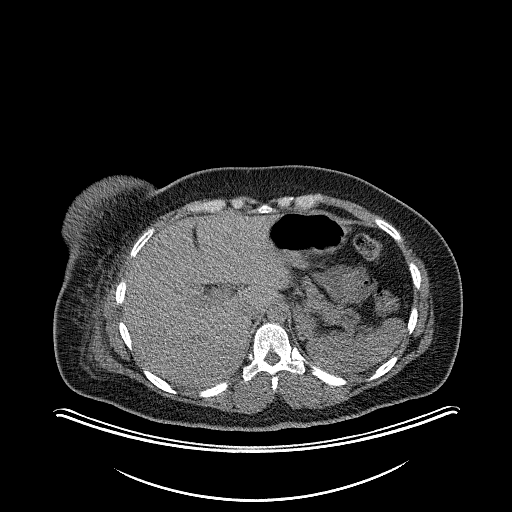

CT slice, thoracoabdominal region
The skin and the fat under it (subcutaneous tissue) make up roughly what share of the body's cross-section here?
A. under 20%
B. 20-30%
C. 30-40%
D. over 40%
Answer: C. 30-40%
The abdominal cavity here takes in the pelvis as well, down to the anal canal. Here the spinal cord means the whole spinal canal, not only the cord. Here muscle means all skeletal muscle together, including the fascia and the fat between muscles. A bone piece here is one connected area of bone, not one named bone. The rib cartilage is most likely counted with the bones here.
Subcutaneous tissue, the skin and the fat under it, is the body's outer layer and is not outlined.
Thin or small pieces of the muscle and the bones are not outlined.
The spinal cord is outlined by (269, 352) (273, 352) (274, 353) (275, 353) (277, 355) (278, 355) (278, 356) (279, 357) (279, 359) (278, 360) (278, 361) (277, 362) (276, 362) (274, 364) (270, 364) (269, 363) (268, 363) (265, 360) (265, 357) (266, 356) (266, 355). The muscle appears in 2 outlined pieces: piece 1: (239, 195) (261, 201) (282, 196) (275, 200) (277, 209) (264, 202) (248, 211) (242, 209) (246, 202) (241, 198) (233, 197) (228, 201) (213, 198) (187, 207) (189, 212) (199, 213) (178, 217) (158, 231) (149, 227) (129, 251) (133, 262) (127, 279) (122, 278) (114, 291) (116, 304) (123, 305) (123, 321) (118, 322) (118, 331) (126, 347) (130, 351) (133, 348) (147, 368) (144, 367) (142, 373) (152, 384) (174, 395) (178, 392) (172, 386) (200, 390) (197, 395) (208, 398) (225, 391) (229, 386) (227, 378) (240, 368) (245, 382) (259, 372) (267, 373) (273, 392) (277, 391) (281, 371) (302, 375) (308, 368) (313, 376) (332, 387) (345, 385) (345, 377) (372, 372) (365, 379) (367, 382) (381, 377) (397, 362) (399, 357) (394, 354) (406, 334) (414, 331) (418, 320) (418, 309) (413, 306) (414, 288) (420, 289) (422, 277) (418, 266) (406, 261) (397, 243) (403, 240) (398, 230) (427, 271) (434, 314) (428, 348) (387, 380) (340, 403) (297, 409) (278, 397) (253, 414) (174, 400) (133, 378) (95, 365) (89, 343) (96, 315) (102, 311) (120, 262) (135, 238) (157, 217) (189, 202); piece 2: (312, 193) (320, 193) (339, 199) (351, 201) (363, 206) (369, 211) (379, 215) (385, 219) (376, 216) (373, 219) (373, 222) (376, 226) (373, 226) (365, 223) (359, 217) (339, 207) (331, 206) (330, 205) (315, 206) (320, 203) (323, 203) (325, 201) (325, 199) (319, 193). The abdominal cavity is outlined by (315, 207) (377, 227) (401, 250) (413, 299) (407, 332) (393, 355) (366, 374) (330, 373) (292, 345) (286, 307) (279, 301) (265, 311) (245, 361) (226, 379) (187, 389) (148, 369) (133, 346) (122, 304) (134, 258) (156, 232) (200, 213) (241, 209) (269, 214) (279, 208). The torso is outlined by (285, 164) (314, 165) (358, 176) (416, 210) (441, 234) (457, 263) (463, 296) (459, 345) (443, 384) (428, 395) (359, 417) (274, 431) (159, 423) (73, 391) (60, 375) (53, 342) (54, 306) (68, 259) (60, 229) (73, 198) (90, 183) (118, 173) (159, 187) (206, 168). The bones appear in 13 outlined pieces: piece 1: (266, 322) (280, 325) (286, 331) (291, 345) (308, 361) (330, 374) (344, 378) (346, 383) (332, 386) (313, 375) (308, 367) (302, 374) (279, 371) (276, 391) (272, 389) (271, 376) (265, 371) (259, 371) (245, 381) (241, 368) (249, 361) (247, 355) (252, 350) (256, 330), around a hole outlined by (269, 352) (273, 352) (274, 353) (275, 353) (277, 355) (278, 355) (278, 356) (279, 357) (279, 359) (278, 360) (278, 361) (277, 362) (276, 362) (274, 364) (270, 364) (269, 363) (268, 363) (265, 360) (265, 357) (266, 356) (266, 355); piece 2: (305, 194) (319, 194) (323, 197) (324, 201) (316, 204) (313, 207) (311, 207) (307, 209) (301, 209) (300, 208) (296, 208) (292, 205) (288, 207) (278, 207) (276, 205) (276, 200) (280, 197) (282, 197) (283, 196) (288, 196) (289, 195) (297, 196) (298, 195) (304, 195); piece 3: (233, 198) (238, 198) (243, 200) (245, 202) (245, 205) (242, 208) (239, 209) (233, 208) (230, 205) (228, 205) (220, 211) (216, 211) (215, 212) (192, 212) (187, 209) (188, 207) (190, 206) (199, 204) (206, 201) (209, 201) (213, 199) (223, 199) (228, 202) (229, 200); piece 4: (144, 368) (145, 369) (149, 370) (152, 373) (155, 374) (157, 376) (158, 376) (160, 378) (161, 378) (163, 380) (167, 382) (174, 389) (176, 390) (177, 393) (174, 394) (173, 393) (165, 391) (159, 388) (153, 383) (152, 383) (145, 376) (145, 375) (143, 373) (143, 369); piece 5: (376, 217) (378, 217) (381, 219) (383, 219) (385, 220) (388, 223) (392, 225) (398, 231) (398, 232) (400, 234) (402, 238) (402, 240) (400, 242) (397, 242) (389, 234) (388, 234) (385, 231) (384, 231) (382, 229) (378, 227) (374, 222) (374, 219); piece 6: (394, 355) (396, 355) (398, 357) (398, 358) (396, 362) (393, 365) (393, 366) (387, 372) (386, 372) (381, 376) (375, 379) (373, 379) (369, 381) (367, 381) (366, 380) (366, 379) (369, 376) (370, 376) (377, 368) (378, 368) (383, 363) (384, 363) (388, 359) (389, 359); piece 7: (225, 380) (227, 380) (228, 381) (228, 386) (227, 388) (225, 390) (222, 391) (217, 395) (214, 395) (213, 396) (209, 396) (208, 397) (200, 397) (198, 395) (199, 391) (203, 390) (204, 389) (206, 389) (207, 388) (209, 388) (215, 385) (217, 383) (219, 383); piece 8: (151, 227) (153, 227) (155, 229) (155, 231) (154, 232) (154, 233) (139, 250) (139, 251) (136, 254) (135, 257) (132, 257) (131, 256) (130, 256) (130, 251) (131, 250) (132, 247) (134, 245) (135, 242) (142, 235) (142, 234) (144, 232) (145, 232) (149, 228) (150, 228); piece 9: (410, 262) (413, 262) (417, 266) (419, 270) (419, 272) (420, 273) (420, 276) (421, 277) (421, 281) (420, 282) (420, 287) (419, 289) (417, 289) (415, 288) (412, 282) (412, 278) (411, 277) (411, 274) (410, 273) (410, 271) (409, 270) (409, 266) (408, 265) (408, 264); piece 10: (120, 321) (122, 321) (125, 324) (128, 330) (128, 332) (129, 333) (129, 335) (131, 339) (131, 343) (133, 347) (131, 350) (130, 350) (127, 347) (126, 344) (124, 342) (120, 334) (120, 332) (119, 331) (119, 322); piece 11: (122, 279) (123, 279) (125, 281) (125, 284) (126, 285) (125, 286) (125, 295) (124, 296) (124, 299) (123, 300) (123, 302) (121, 304) (118, 305) (116, 302) (116, 299) (115, 298) (115, 291) (116, 290) (116, 287) (117, 286) (117, 285) (119, 283) (119, 282); piece 12: (412, 307) (415, 307) (417, 309) (417, 320) (416, 321) (415, 326) (413, 329) (413, 331) (410, 334) (409, 334) (408, 333) (408, 331) (407, 330) (407, 325) (408, 324) (408, 320) (409, 319) (409, 316) (410, 315) (410, 312) (411, 311) (411, 309) (412, 308); piece 13: (264, 203) (265, 203) (270, 206) (275, 207) (275, 208) (276, 209) (275, 210) (275, 211) (274, 211) (273, 212) (270, 212) (269, 213) (258, 213) (257, 212) (252, 212) (251, 211) (251, 210) (252, 209) (253, 209) (254, 208) (256, 208) (257, 207) (260, 206). The mediastinum appears in 2 outlined pieces: piece 1: (279, 302) (281, 304) (283, 304) (285, 307) (285, 311) (287, 314) (287, 317) (286, 318) (287, 319) (286, 320) (286, 324) (287, 325) (285, 329) (280, 324) (276, 322) (266, 321) (262, 323) (263, 316) (266, 311) (270, 307) (270, 306) (272, 306) (274, 304) (277, 304); piece 2: (319, 206) (330, 206) (331, 207) (335, 207) (336, 208) (339, 208) (342, 210) (344, 210) (345, 211) (348, 212) (350, 214) (351, 214) (360, 219) (344, 219) (343, 218) (340, 218) (338, 216) (337, 216) (329, 210) (327, 210) (326, 209) (322, 209) (320, 207) (319, 207).